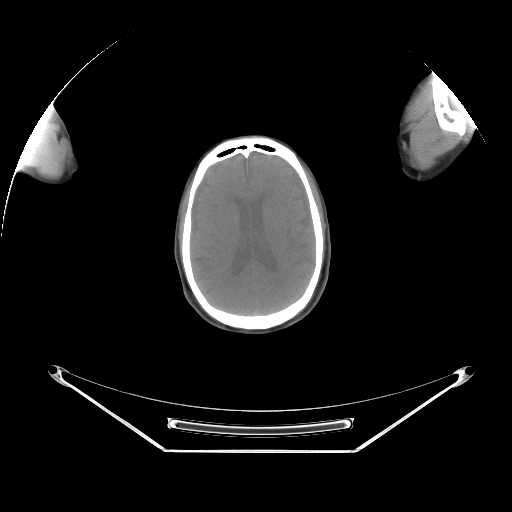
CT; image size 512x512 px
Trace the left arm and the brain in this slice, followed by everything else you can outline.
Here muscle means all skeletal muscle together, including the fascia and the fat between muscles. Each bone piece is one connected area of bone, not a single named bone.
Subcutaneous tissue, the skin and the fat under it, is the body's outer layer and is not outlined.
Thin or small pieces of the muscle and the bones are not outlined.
The left arm is outlined by (431, 72) (434, 72) (455, 94) (473, 120) (477, 131) (473, 134) (472, 140) (467, 148) (443, 173) (427, 182) (417, 182) (408, 178) (403, 173) (401, 169) (400, 160) (398, 156) (396, 144) (394, 141) (394, 137) (397, 133) (399, 106) (406, 97) (410, 88) (420, 78). The brain is outlined by (252, 152) (277, 156) (284, 160) (294, 170) (305, 192) (314, 237) (313, 268) (302, 293) (299, 297) (286, 306) (264, 314) (234, 313) (213, 305) (203, 293) (195, 278) (191, 260) (192, 210) (197, 190) (207, 170) (214, 164) (231, 158) (237, 154) (241, 154) (247, 158). The bones appear in 2 outlined pieces: piece 1: (245, 136) (265, 136) (272, 138) (284, 144) (296, 154) (306, 175) (319, 213) (323, 236) (321, 269) (309, 301) (292, 318) (281, 324) (264, 329) (233, 327) (210, 316) (202, 308) (187, 282) (181, 253) (183, 223) (189, 199) (189, 192) (200, 160) (217, 144) (231, 138), around a hole outlined by (252, 152) (277, 156) (284, 160) (294, 170) (305, 192) (314, 237) (313, 268) (302, 293) (299, 297) (286, 306) (264, 314) (234, 313) (213, 305) (203, 293) (195, 278) (191, 260) (192, 210) (197, 190) (207, 170) (214, 164) (231, 158) (237, 154) (241, 154) (247, 158); piece 2: (431, 72) (434, 72) (434, 73) (448, 86) (467, 110) (476, 126) (476, 128) (472, 132) (468, 127) (465, 133) (461, 137) (455, 132) (445, 131) (440, 128) (435, 114) (435, 110) (434, 109) (434, 103) (433, 102) (433, 97) (432, 96) (432, 87) (430, 83). The head is outlined by (247, 133) (269, 133) (280, 137) (292, 144) (305, 159) (319, 184) (326, 204) (331, 240) (328, 280) (323, 295) (315, 308) (304, 319) (287, 328) (256, 335) (229, 332) (203, 320) (184, 298) (173, 254) (173, 236) (178, 202) (187, 175) (196, 158) (207, 146) (222, 137). The right arm is outlined by (51, 104) (52, 104) (57, 110) (63, 119) (70, 135) (73, 144) (73, 147) (79, 160) (79, 167) (75, 178) (70, 183) (63, 186) (47, 186) (46, 185) (40, 184) (22, 174) (20, 172) (21, 170) (20, 169) (20, 166) (18, 165) (19, 158) (30, 134) (44, 111). The muscle appears in 5 outlined pieces: piece 1: (429, 77) (433, 109) (439, 128) (445, 132) (455, 133) (461, 138) (466, 133) (468, 128) (471, 134) (466, 142) (460, 143) (440, 157) (438, 162) (433, 167) (424, 171) (415, 169) (408, 165) (406, 162) (401, 142) (403, 138) (402, 121) (405, 109) (412, 96) (419, 86); piece 2: (51, 104) (52, 104) (55, 111) (60, 118) (63, 133) (69, 143) (70, 150) (72, 154) (72, 164) (71, 166) (57, 180) (46, 179) (38, 175) (35, 175) (24, 170) (21, 170) (20, 169) (20, 166) (18, 165) (19, 158) (30, 134) (44, 111); piece 3: (300, 160) (307, 169) (313, 179) (322, 205) (322, 209) (324, 215) (324, 221) (326, 226) (325, 228) (325, 256) (323, 261) (323, 265) (322, 269) (322, 265) (323, 264) (323, 252) (324, 251) (324, 236) (323, 235) (320, 213) (315, 198) (313, 195) (312, 189) (309, 183) (307, 175); piece 4: (194, 172) (188, 192) (188, 199) (187, 200) (186, 209) (185, 210) (183, 222) (182, 223) (182, 233) (181, 234) (181, 242) (180, 243) (181, 263) (180, 256) (179, 255) (179, 243) (178, 242) (179, 218) (180, 217) (180, 211) (181, 210) (183, 198) (187, 186); piece 5: (321, 270) (321, 276) (320, 277) (320, 279) (319, 280) (319, 282) (318, 283) (316, 291) (312, 299) (307, 305) (307, 306) (299, 314) (298, 314) (307, 305) (307, 304) (310, 301) (313, 295) (313, 293) (317, 286) (317, 284) (318, 283) (318, 281) (320, 277).